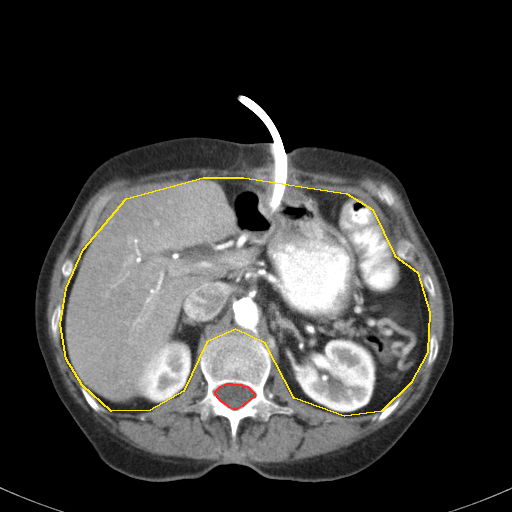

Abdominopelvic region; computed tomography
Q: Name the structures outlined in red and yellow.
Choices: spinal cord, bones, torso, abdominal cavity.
A: red: spinal cord; yellow: abdominal cavity.
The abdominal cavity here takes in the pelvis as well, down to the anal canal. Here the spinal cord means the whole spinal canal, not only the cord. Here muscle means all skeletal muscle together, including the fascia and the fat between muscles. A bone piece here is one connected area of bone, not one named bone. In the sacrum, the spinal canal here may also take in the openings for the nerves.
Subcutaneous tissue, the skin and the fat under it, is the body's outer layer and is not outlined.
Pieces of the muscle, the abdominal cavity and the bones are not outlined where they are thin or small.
{"spinal_cord":[[[227,383],[231,383],[232,384],[241,384],[242,385],[247,386],[254,393],[254,397],[251,398],[242,406],[236,409],[233,409],[229,407],[223,402],[222,402],[217,397],[217,396],[215,394],[215,392],[216,390],[220,386],[224,384],[226,384]]],"abdominal_cavity":[[[203,177],[243,177],[346,193],[372,209],[394,255],[417,272],[429,312],[427,352],[410,383],[381,411],[344,416],[294,398],[265,343],[235,329],[206,342],[183,391],[150,410],[111,411],[82,385],[66,359],[60,324],[66,288],[83,249],[126,198]]],"torso":[[[188,136],[270,142],[285,152],[305,145],[354,152],[383,163],[402,182],[448,281],[453,345],[419,415],[365,469],[330,481],[300,482],[227,464],[195,479],[136,479],[100,459],[58,397],[34,319],[36,284],[47,250],[84,182],[103,161],[129,148]]],"muscle":[{"outer":[[246,166],[292,166],[305,171],[329,173],[353,179],[358,179],[364,174],[376,173],[381,174],[385,178],[392,181],[397,190],[401,194],[409,216],[411,218],[420,241],[427,252],[440,285],[444,305],[444,328],[441,357],[433,367],[433,370],[423,394],[409,409],[402,415],[376,431],[338,450],[292,463],[259,463],[250,460],[246,456],[239,456],[236,454],[226,454],[220,457],[219,459],[214,460],[197,460],[191,458],[163,455],[162,456],[153,454],[131,445],[110,432],[90,413],[85,411],[69,393],[62,378],[62,375],[59,371],[47,333],[48,294],[50,290],[50,281],[54,265],[75,221],[87,201],[104,183],[115,176],[134,177],[162,171],[195,167],[239,169]],"holes":[[[203,177],[346,193],[372,209],[395,256],[402,239],[414,246],[408,262],[434,286],[427,305],[438,352],[430,365],[425,354],[387,417],[379,421],[380,411],[344,416],[294,398],[275,356],[264,394],[293,413],[267,421],[245,417],[235,440],[224,416],[202,420],[198,412],[180,410],[206,395],[198,360],[183,391],[150,410],[89,405],[60,333],[54,338],[51,330],[71,277],[61,267],[67,259],[76,265],[126,198]],[[105,195],[109,195],[110,196],[109,199],[106,202],[102,209],[98,213],[92,231],[86,242],[83,243],[83,239],[81,233],[84,224],[89,215],[89,213],[92,209],[94,204],[99,199],[99,198]],[[383,184],[386,184],[388,186],[389,186],[389,187],[390,188],[391,188],[391,189],[393,191],[393,193],[396,197],[396,202],[397,203],[394,207],[389,206],[385,202],[380,200],[376,195],[376,190],[378,188],[379,188]]]}],"bones":[{"outer":[[226,330],[259,338],[264,343],[272,359],[264,394],[271,401],[293,410],[291,414],[274,413],[267,421],[243,418],[238,424],[235,440],[231,436],[229,421],[224,416],[210,415],[202,420],[198,412],[180,410],[206,395],[207,382],[199,357],[206,343]],"hole":[[227,383],[231,383],[232,384],[241,384],[242,385],[247,386],[254,393],[254,397],[251,398],[242,406],[236,409],[233,409],[229,407],[223,402],[222,402],[217,397],[217,396],[215,394],[215,392],[216,390],[220,386],[224,384],[226,384]]},[[105,195],[109,195],[110,196],[109,199],[106,202],[102,209],[98,213],[92,231],[86,242],[83,243],[83,239],[81,233],[84,224],[89,215],[89,213],[92,209],[94,204],[99,199],[99,198]],[[383,184],[386,184],[388,186],[389,186],[389,187],[390,188],[391,188],[391,189],[393,191],[393,193],[396,197],[396,202],[397,203],[394,207],[389,206],[385,202],[380,200],[376,195],[376,190],[378,188],[379,188]],[[402,239],[405,239],[406,240],[408,240],[414,246],[414,250],[413,251],[413,259],[412,260],[410,260],[409,261],[408,260],[406,260],[405,259],[402,258],[400,256],[400,254],[398,252],[398,248],[399,247],[397,245],[398,244],[398,243]],[[397,398],[399,398],[400,399],[400,401],[399,402],[399,404],[397,406],[397,407],[387,417],[386,417],[384,419],[383,419],[382,420],[381,420],[380,421],[379,421],[378,420],[378,416],[379,415],[379,414],[382,411],[382,410]],[[82,386],[83,386],[85,388],[85,389],[86,390],[87,390],[87,391],[94,398],[94,399],[99,404],[99,405],[103,409],[103,410],[101,410],[100,411],[96,411],[95,410],[94,410],[89,405],[89,404],[85,399],[85,398],[81,391],[81,387]]]}